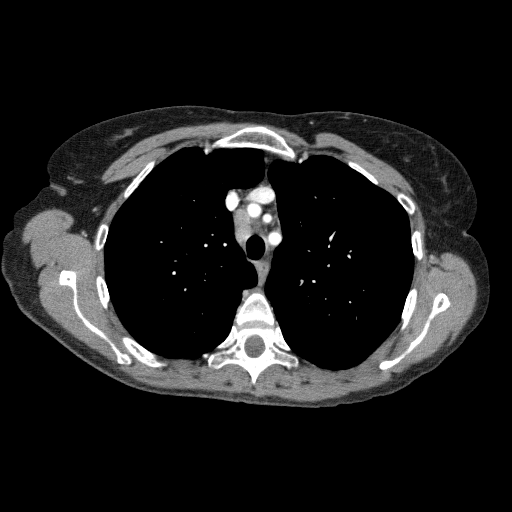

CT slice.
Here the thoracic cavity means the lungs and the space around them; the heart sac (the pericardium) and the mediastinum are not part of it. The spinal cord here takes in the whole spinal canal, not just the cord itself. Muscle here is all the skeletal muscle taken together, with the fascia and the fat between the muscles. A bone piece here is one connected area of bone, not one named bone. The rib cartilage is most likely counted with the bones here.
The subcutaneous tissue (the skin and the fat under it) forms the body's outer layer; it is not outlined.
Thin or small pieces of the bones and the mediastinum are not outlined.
Outlines (x, y in pixels):
thoracic cavity 1: 314 154; 333 156; 391 194; 406 212; 411 231; 410 243; 414 263; 400 320; 363 362; 348 369; 322 368; 293 352; 265 294; 265 284; 272 267; 274 252; 283 240; 276 193; 268 176; 269 165; 276 158; 295 162; 299 156; 307 158
thoracic cavity 2: 189 146; 258 149; 264 152; 264 169; 254 185; 230 189; 224 198; 232 218; 233 237; 253 267; 256 282; 243 290; 227 335; 212 351; 194 358; 177 359; 160 357; 147 349; 122 324; 104 277; 104 247; 109 225; 123 203; 156 164
muscle: 223 120; 269 123; 277 126; 285 127; 307 139; 309 139; 314 133; 319 131; 332 132; 355 143; 366 151; 385 161; 395 168; 409 182; 414 190; 413 197; 418 204; 425 221; 427 233; 425 240; 428 251; 437 256; 446 251; 461 256; 468 263; 476 279; 477 298; 474 310; 455 340; 445 349; 438 351; 431 357; 411 365; 408 369; 395 375; 392 380; 379 386; 372 387; 365 390; 350 392; 336 398; 329 398; 318 401; 295 401; 271 396; 256 397; 251 394; 245 393; 228 393; 220 391; 206 391; 194 389; 169 389; 157 387; 137 381; 126 375; 122 371; 114 368; 105 357; 75 338; 52 319; 45 311; 39 301; 38 297; 39 288; 36 284; 35 270; 30 255; 26 247; 22 243; 22 231; 26 222; 39 211; 47 208; 54 207; 59 208; 72 215; 74 222; 70 230; 72 232; 77 233; 83 230; 87 233; 90 239; 106 207; 120 191; 119 182; 105 184; 101 180; 102 174; 113 161; 138 141; 153 134; 181 125; 207 123 with holes at 259 125; 282 136; 298 156; 325 154; 344 163; 351 160; 394 197; 397 190; 411 197; 415 209; 408 216; 410 230; 421 231; 423 255; 413 264; 410 287; 417 289; 417 298; 407 325; 401 330; 400 320; 354 367; 326 369; 300 357; 296 368; 276 363; 268 366; 254 385; 241 366; 228 363; 213 369; 200 355; 161 357; 166 362; 161 367; 134 357; 129 364; 118 363; 110 345; 76 313; 73 290; 59 283; 61 270; 76 274; 82 314; 126 353; 121 338; 130 334; 112 303; 105 308; 97 293; 96 276; 104 275; 104 249; 95 248; 99 224; 111 223; 126 199; 124 190; 149 161; 157 164; 182 147; 202 148; 240 128 and at 440 292; 444 293; 448 297; 450 302; 449 306; 434 316; 430 322; 425 336; 411 351; 391 367; 386 369; 380 369; 378 367; 379 362; 386 359; 387 360; 393 359; 398 356; 408 347; 410 343; 420 333; 432 309; 433 300; 435 296
spinal cord: 252 336; 257 336; 258 337; 259 337; 262 340; 262 341; 263 342; 263 344; 264 345; 264 348; 263 349; 263 350; 261 352; 261 353; 257 356; 250 356; 248 354; 247 354; 247 353; 245 350; 245 343; 246 342; 247 339
torso: 176 105; 283 114; 357 112; 408 125; 438 140; 463 164; 477 196; 468 232; 487 258; 490 280; 481 322; 435 369; 408 386; 333 407; 149 393; 74 355; 18 309; 0 269; 3 238; 15 212; 48 184; 48 159; 67 138; 115 116
bones 1: 244 291; 247 294; 260 292; 265 295; 283 338; 291 351; 299 357; 299 364; 296 368; 288 369; 276 363; 268 366; 257 377; 254 385; 251 383; 249 373; 241 366; 228 363; 213 369; 201 356; 204 353; 212 352; 228 335; inner edge: 252 336; 257 336; 258 337; 259 337; 262 340; 262 341; 263 342; 263 344; 264 345; 264 348; 263 349; 263 350; 261 352; 261 353; 257 356; 250 356; 248 354; 247 354; 247 353; 245 350; 245 343; 246 342; 247 339
bones 2: 259 125; 262 127; 275 131; 282 136; 297 154; 298 156; 295 161; 283 160; 270 152; 264 151; 258 148; 252 148; 251 147; 216 148; 215 147; 206 147; 204 146; 206 146; 209 143; 225 136; 230 135; 240 128; 247 126; 258 126
bones 3: 63 269; 72 270; 76 274; 77 303; 82 314; 121 352; 127 352; 121 340; 124 335; 127 335; 165 361; 166 365; 152 367; 134 357; 131 358; 129 364; 118 363; 110 345; 88 328; 76 313; 73 305; 73 290; 59 283; 59 274
bones 4: 440 292; 444 293; 448 297; 450 302; 449 306; 434 316; 430 322; 425 336; 411 351; 391 367; 386 369; 380 369; 378 367; 379 362; 386 359; 387 360; 393 359; 398 356; 408 347; 410 343; 420 333; 432 309; 433 300; 435 296
bones 5: 413 286; 414 286; 417 289; 417 298; 416 299; 416 305; 409 319; 409 321; 407 325; 402 330; 401 330; 400 329; 400 325; 401 324; 401 313; 402 312; 402 310; 403 309; 403 307; 405 303; 405 300; 408 294; 408 292; 409 290
bones 6: 151 160; 154 160; 155 161; 156 163; 155 165; 149 172; 149 173; 143 179; 143 180; 139 184; 139 185; 126 199; 126 198; 124 197; 124 194; 123 193; 124 190; 132 180; 132 179; 134 178; 140 172; 140 171; 144 167; 144 166
bones 7: 99 274; 103 276; 104 280; 105 281; 105 283; 106 284; 106 286; 107 287; 107 289; 108 290; 108 292; 109 293; 110 302; 107 308; 105 308; 102 305; 99 299; 98 294; 97 293; 97 289; 96 288; 95 279; 96 278; 96 276
bones 8: 416 229; 421 231; 422 233; 422 236; 423 237; 423 245; 422 246; 422 251; 423 252; 423 255; 422 257; 419 260; 417 260; 415 259; 414 257; 414 255; 413 254; 413 251; 412 250; 412 244; 411 243; 411 234; 412 233; 412 231
bones 9: 397 190; 398 191; 400 191; 401 192; 408 195; 410 197; 411 197; 411 198; 413 200; 413 201; 415 204; 415 209; 414 210; 414 212; 412 215; 408 215; 407 212; 404 209; 404 208; 400 204; 400 203; 395 197; 395 194; 396 193
bones 10: 348 160; 351 160; 354 162; 356 162; 362 167; 363 167; 367 171; 368 171; 371 174; 372 174; 381 184; 381 186; 380 187; 379 186; 372 183; 366 177; 365 177; 362 174; 361 174; 353 168; 350 167; 346 163; 346 162
mediastinum: 265 152; 276 157; 268 165; 267 176; 275 193; 282 240; 273 252; 264 293; 260 291; 247 293; 244 290; 256 284; 257 274; 254 267; 246 260; 242 248; 234 237; 233 218; 226 208; 225 198; 230 190; 252 187; 262 179